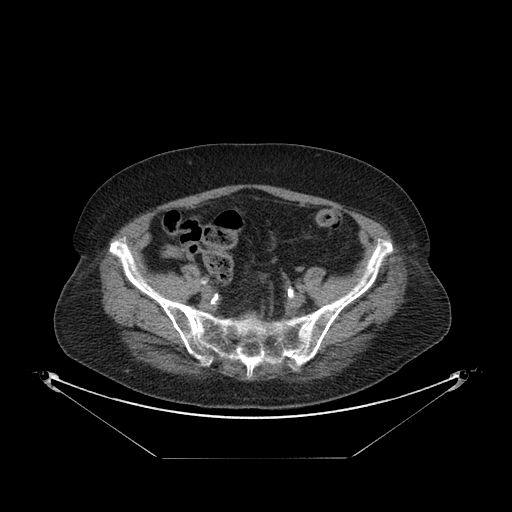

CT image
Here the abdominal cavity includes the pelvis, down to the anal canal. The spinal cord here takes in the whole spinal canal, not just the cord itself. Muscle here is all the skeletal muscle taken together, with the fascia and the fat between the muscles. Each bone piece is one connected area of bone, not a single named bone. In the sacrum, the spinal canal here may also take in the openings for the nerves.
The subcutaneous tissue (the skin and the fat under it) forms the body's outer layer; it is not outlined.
{"bones":[{"outer":[[124,236],[138,271],[165,298],[220,318],[255,312],[267,321],[311,313],[346,294],[378,238],[389,240],[393,250],[299,372],[285,357],[280,364],[261,363],[248,377],[243,363],[216,353],[208,367],[199,365],[163,308],[127,279],[109,252],[111,242]],"holes":[[[248,346],[252,346],[253,347],[255,347],[257,349],[257,353],[256,353],[255,354],[253,354],[252,355],[249,355],[248,354],[247,354],[246,353],[245,353],[244,352],[244,350],[245,350],[246,349],[246,348]],[[232,334],[234,334],[235,335],[236,335],[236,336],[237,337],[237,341],[236,342],[236,343],[235,343],[234,344],[233,344],[232,343],[231,343],[231,342],[230,341],[230,339],[229,338],[229,337],[230,336],[230,335],[231,335]],[[270,337],[272,337],[273,338],[274,338],[274,339],[275,340],[275,343],[274,344],[274,345],[273,345],[272,346],[271,346],[270,345],[269,345],[269,344],[268,343],[268,342],[267,341],[267,340],[268,339],[268,338],[269,338]]]}],"muscle":[{"outer":[[247,183],[250,184],[265,184],[281,187],[289,189],[292,191],[318,196],[329,199],[332,201],[344,203],[359,209],[370,214],[384,223],[392,232],[401,248],[402,253],[404,256],[408,276],[405,299],[401,308],[383,326],[372,344],[354,361],[336,374],[314,382],[298,383],[297,382],[287,382],[279,378],[273,378],[264,381],[242,381],[232,377],[222,375],[219,373],[208,376],[205,378],[197,378],[193,376],[186,376],[162,371],[158,368],[147,365],[139,360],[136,360],[131,355],[125,344],[120,340],[120,336],[110,319],[104,312],[101,302],[102,298],[99,282],[99,259],[103,245],[119,227],[137,215],[166,202],[222,186],[235,185],[236,184],[246,184]],"hole":[[247,189],[331,206],[358,224],[364,249],[351,272],[323,280],[315,265],[303,274],[317,309],[357,283],[378,238],[393,247],[299,372],[288,357],[249,377],[216,353],[200,366],[109,252],[124,236],[146,282],[188,305],[200,270],[150,269],[150,221]]}],"spinal_cord":[[[248,346],[252,346],[253,347],[255,347],[257,349],[257,353],[256,353],[255,354],[253,354],[252,355],[249,355],[248,354],[247,354],[246,353],[245,353],[244,352],[244,350],[245,350],[246,349],[246,348]],[[232,334],[234,334],[235,335],[236,335],[236,336],[237,337],[237,341],[236,342],[236,343],[235,343],[234,344],[233,344],[232,343],[231,343],[231,342],[230,341],[230,339],[229,338],[229,337],[230,336],[230,335],[231,335]],[[270,337],[272,337],[273,338],[274,338],[274,339],[275,340],[275,343],[274,344],[274,345],[273,345],[272,346],[271,346],[270,345],[269,345],[269,344],[268,343],[268,342],[267,341],[267,340],[268,339],[268,338],[269,338]]],"abdominal_cavity":[[[247,189],[302,206],[331,206],[358,224],[364,249],[351,272],[323,280],[325,270],[315,265],[303,274],[315,310],[287,319],[267,320],[255,311],[216,316],[188,302],[199,289],[197,265],[183,264],[181,274],[148,267],[142,251],[158,212],[194,208]]],"torso":[[[218,142],[322,147],[361,159],[394,179],[412,199],[427,228],[429,264],[451,305],[447,334],[397,372],[364,390],[285,409],[204,408],[169,402],[133,391],[70,359],[56,340],[53,312],[79,258],[72,247],[72,235],[87,200],[109,177],[141,159]]]}